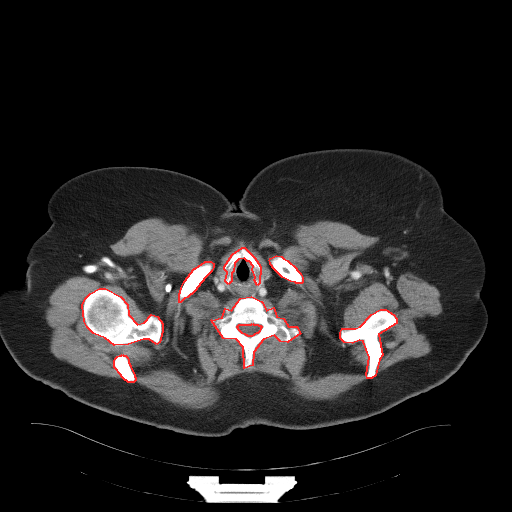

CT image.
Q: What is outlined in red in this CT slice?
A: red: bones.
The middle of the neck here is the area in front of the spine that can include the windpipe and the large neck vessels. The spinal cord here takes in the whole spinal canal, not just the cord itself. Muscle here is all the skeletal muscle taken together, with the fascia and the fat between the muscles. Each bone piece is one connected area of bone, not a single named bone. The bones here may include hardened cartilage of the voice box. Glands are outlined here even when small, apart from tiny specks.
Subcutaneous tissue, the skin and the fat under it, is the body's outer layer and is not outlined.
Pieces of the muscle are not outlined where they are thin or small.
{"bones":[[[99,288],[105,288],[120,296],[127,304],[128,314],[137,324],[144,322],[151,314],[157,316],[162,323],[162,331],[159,342],[156,344],[149,339],[143,339],[128,344],[114,345],[105,338],[93,333],[87,327],[84,321],[82,305],[85,298],[90,293]],{"outer":[[251,296],[261,301],[266,310],[273,307],[276,316],[283,318],[288,326],[296,326],[300,333],[287,342],[280,341],[274,335],[263,339],[253,352],[252,365],[244,368],[243,347],[236,339],[223,338],[211,320],[222,317],[225,308],[231,310],[240,298]],"hole":[[252,323],[253,324],[257,324],[258,325],[260,325],[261,326],[261,327],[260,328],[259,331],[257,333],[256,333],[251,336],[248,336],[247,335],[246,335],[245,334],[242,333],[238,329],[238,328],[237,327],[237,326],[239,324],[251,324]]},[[380,309],[385,309],[393,314],[396,318],[396,323],[378,334],[382,355],[379,359],[375,375],[371,378],[367,378],[366,374],[369,357],[363,341],[359,340],[352,343],[344,342],[340,338],[340,332],[342,328],[355,328],[360,326],[371,314]],[[205,261],[210,261],[213,263],[213,267],[211,271],[203,279],[203,280],[199,284],[199,285],[196,288],[196,289],[191,294],[190,294],[187,297],[184,298],[180,302],[179,302],[179,293],[180,292],[181,287],[184,281],[194,268],[195,268]],[[242,247],[244,247],[254,257],[260,266],[259,283],[257,285],[254,280],[255,277],[252,269],[253,266],[249,261],[247,261],[244,258],[238,259],[234,263],[233,271],[231,273],[231,281],[228,284],[225,281],[227,272],[224,269],[224,266],[232,254]],[[276,255],[281,256],[283,258],[287,260],[296,268],[296,269],[300,273],[302,277],[302,282],[301,283],[296,283],[295,282],[290,281],[282,277],[272,267],[272,266],[270,264],[270,262],[269,260],[270,258]],[[122,354],[123,355],[125,355],[127,357],[128,359],[128,362],[130,365],[130,367],[134,374],[134,376],[135,377],[135,380],[133,382],[128,382],[126,380],[125,380],[121,376],[121,375],[114,367],[114,360],[115,358],[117,356],[119,355],[121,355]]],"spinal_cord":[[[252,323],[253,324],[257,324],[258,325],[260,325],[261,326],[261,327],[260,328],[259,331],[257,333],[256,333],[251,336],[248,336],[247,335],[246,335],[245,334],[242,333],[238,329],[238,328],[237,327],[237,326],[239,324],[251,324]]],"right_arm":[[[50,226],[59,227],[120,280],[126,283],[126,323],[123,343],[122,376],[92,407],[74,400],[68,397],[61,390],[53,388],[26,374],[14,361],[0,337],[0,292],[8,286],[19,286],[22,283],[27,269],[27,264],[25,260],[26,255],[33,242]]],"middle_of_the_neck":[[[241,259],[251,264],[254,277],[253,280],[258,287],[263,283],[265,272],[270,274],[273,278],[265,297],[258,298],[254,295],[239,297],[232,293],[218,291],[216,288],[214,278],[219,275],[219,282],[223,284],[224,280],[228,285],[232,281],[234,265]]],"muscle":[{"outer":[[156,216],[240,242],[287,236],[320,219],[379,235],[362,257],[382,283],[395,289],[396,277],[411,271],[441,294],[442,313],[421,330],[431,350],[376,375],[379,334],[397,323],[380,308],[340,329],[342,342],[362,341],[368,363],[367,379],[338,397],[307,400],[275,377],[244,373],[215,406],[198,410],[130,383],[125,354],[113,360],[123,379],[62,361],[50,352],[48,297],[80,274],[122,282],[135,261],[108,245]],"holes":[[[242,247],[273,278],[267,295],[258,298],[264,308],[273,307],[276,316],[300,330],[297,337],[287,342],[274,335],[263,339],[248,368],[243,367],[245,353],[240,343],[223,338],[211,323],[225,314],[226,307],[231,310],[240,298],[218,291],[214,278]],[[99,288],[105,288],[120,296],[127,304],[128,314],[137,324],[144,322],[151,314],[157,316],[162,323],[162,331],[159,342],[156,344],[149,339],[143,339],[128,344],[114,345],[105,338],[93,333],[87,327],[84,321],[82,305],[85,298],[90,293]],[[205,261],[210,261],[213,263],[213,267],[211,271],[203,279],[203,280],[199,284],[199,285],[196,288],[196,289],[191,294],[190,294],[187,297],[184,298],[180,302],[179,302],[179,293],[180,292],[181,287],[184,281],[194,268],[195,268]],[[276,255],[281,256],[283,258],[287,260],[296,268],[296,269],[300,273],[302,277],[302,282],[301,283],[296,283],[295,282],[290,281],[282,277],[272,267],[272,266],[270,264],[270,262],[269,260],[270,258]]]}],"torso":[[[347,147],[398,153],[428,169],[442,189],[445,211],[477,241],[486,267],[480,296],[488,323],[459,369],[382,413],[313,429],[258,424],[196,436],[94,408],[123,376],[127,283],[50,225],[52,193],[92,169],[146,166],[193,176],[237,202],[269,163]]],"thyroid_glands":[[[223,270],[224,270],[226,272],[226,275],[225,276],[225,279],[224,279],[223,280],[223,283],[222,283],[221,282],[220,282],[220,280],[219,279],[219,277],[220,276],[220,274],[223,271]],[[261,268],[264,271],[264,274],[263,275],[263,278],[262,279],[262,280],[261,281],[261,282],[262,283],[259,286],[258,286],[258,285],[260,283],[260,276],[261,275],[261,272],[260,271],[260,269]]]}